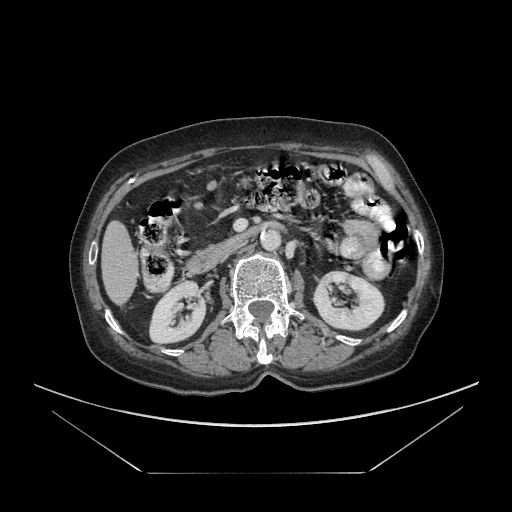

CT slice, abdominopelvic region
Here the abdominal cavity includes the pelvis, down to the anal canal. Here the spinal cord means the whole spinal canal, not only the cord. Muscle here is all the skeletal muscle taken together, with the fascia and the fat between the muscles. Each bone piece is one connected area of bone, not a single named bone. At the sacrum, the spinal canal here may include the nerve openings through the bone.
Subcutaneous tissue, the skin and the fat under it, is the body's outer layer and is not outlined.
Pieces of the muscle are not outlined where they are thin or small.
{"muscle":[{"outer":[[271,142],[300,142],[317,145],[332,145],[333,146],[354,147],[355,148],[371,148],[383,155],[392,164],[397,171],[406,187],[412,195],[413,199],[419,209],[424,225],[427,230],[431,254],[431,268],[429,278],[419,301],[417,312],[407,333],[398,341],[380,351],[336,370],[324,372],[293,371],[277,365],[269,364],[268,365],[262,365],[249,371],[236,375],[225,377],[203,378],[192,376],[166,364],[159,363],[156,361],[148,361],[138,359],[129,355],[119,347],[103,327],[90,304],[84,285],[82,261],[83,260],[83,249],[86,239],[86,234],[91,218],[103,195],[107,191],[113,181],[126,171],[152,162],[183,154],[190,151],[210,147],[235,146],[248,144],[264,144]],"holes":[[[248,149],[346,161],[381,186],[368,157],[384,164],[391,195],[424,242],[402,302],[407,314],[397,327],[387,332],[388,322],[356,336],[362,340],[353,346],[336,339],[341,333],[307,309],[298,269],[288,300],[305,317],[291,316],[286,336],[266,340],[268,364],[258,362],[257,342],[239,339],[230,321],[220,324],[233,307],[225,277],[221,307],[178,356],[107,323],[97,263],[89,264],[88,252],[124,196],[189,164]],[[132,176],[134,176],[136,178],[135,180],[133,182],[130,183],[128,185],[126,185],[124,186],[122,188],[120,192],[117,195],[116,195],[116,192],[118,190],[118,189],[121,186],[122,186],[124,184],[124,183],[130,177]]]}],"spinal_cord":[[[256,301],[268,301],[269,302],[272,303],[272,304],[273,305],[273,309],[271,311],[269,316],[265,320],[261,320],[260,319],[257,318],[255,316],[254,316],[250,312],[250,311],[248,308],[249,305],[251,303],[252,303],[253,302],[255,302]]],"torso":[[[265,115],[362,124],[383,134],[403,157],[433,212],[444,249],[439,305],[413,356],[401,370],[385,377],[315,392],[296,390],[266,375],[254,389],[243,392],[181,395],[118,375],[86,346],[69,281],[70,240],[93,180],[114,153],[140,139],[205,120]]],"bones":[{"outer":[[257,252],[277,257],[281,261],[286,273],[289,303],[305,316],[304,319],[291,316],[286,336],[277,333],[266,340],[267,351],[273,357],[268,364],[258,362],[257,342],[250,337],[239,339],[230,321],[220,324],[220,321],[233,307],[231,278],[236,259]],"hole":[[256,301],[268,301],[269,302],[272,303],[272,304],[273,305],[273,309],[271,311],[269,316],[265,320],[261,320],[260,319],[257,318],[255,316],[254,316],[250,312],[250,311],[248,308],[249,305],[251,303],[252,303],[253,302],[255,302]]},[[368,157],[376,157],[384,164],[385,167],[388,170],[389,173],[391,175],[393,180],[393,183],[394,184],[394,193],[393,194],[391,194],[387,190],[386,190],[386,189],[382,185],[382,183],[380,181],[380,179],[378,177],[375,170],[370,164],[368,160]],[[105,306],[107,306],[109,308],[113,317],[115,319],[117,323],[120,326],[120,327],[123,330],[123,331],[125,333],[125,335],[123,334],[121,334],[120,333],[118,333],[116,331],[115,331],[107,323],[104,317],[104,308]],[[402,308],[406,308],[406,309],[407,310],[407,314],[406,315],[405,318],[403,320],[403,321],[397,327],[396,327],[392,331],[391,331],[390,332],[387,332],[386,331],[386,330],[387,329],[387,328],[389,326],[390,323],[399,313],[399,312],[402,309]],[[414,228],[416,228],[418,229],[423,237],[423,241],[424,242],[424,251],[423,252],[423,257],[422,259],[420,257],[418,253],[418,249],[417,248],[417,245],[414,239],[414,236],[413,235],[413,230],[412,229]],[[94,239],[95,240],[96,240],[98,243],[98,251],[97,252],[97,258],[96,259],[96,262],[93,265],[90,265],[88,262],[88,252],[89,251],[89,247],[90,246],[90,243],[91,242],[91,241]],[[337,334],[341,334],[342,335],[345,335],[346,336],[350,336],[351,337],[355,337],[356,338],[362,338],[362,340],[361,341],[361,342],[360,342],[358,344],[352,346],[351,345],[346,344],[345,343],[344,343],[343,342],[336,339],[334,337],[334,336]],[[162,347],[163,347],[164,348],[170,348],[171,349],[176,349],[177,348],[180,348],[181,349],[183,349],[183,350],[184,351],[181,354],[180,354],[178,356],[171,356],[170,355],[168,355],[167,354],[166,354],[165,353],[162,352],[160,349]],[[132,176],[134,176],[136,178],[135,180],[133,182],[130,183],[128,185],[126,185],[124,186],[122,188],[120,192],[117,195],[116,195],[116,192],[118,190],[118,189],[121,186],[122,186],[124,184],[124,183],[130,177]]],"abdominal_cavity":[[[248,149],[355,164],[396,200],[417,260],[414,283],[391,321],[367,336],[334,330],[307,309],[301,272],[292,271],[289,299],[282,261],[257,251],[235,259],[231,296],[221,279],[221,307],[192,341],[145,344],[121,327],[97,277],[108,216],[142,183]]]}